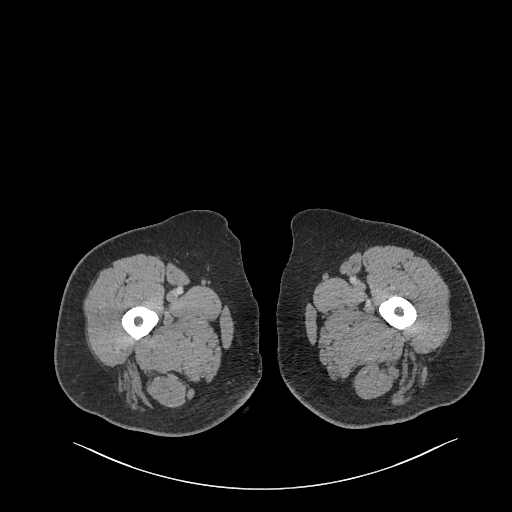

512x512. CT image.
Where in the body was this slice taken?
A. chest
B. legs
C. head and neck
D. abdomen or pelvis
B. legs
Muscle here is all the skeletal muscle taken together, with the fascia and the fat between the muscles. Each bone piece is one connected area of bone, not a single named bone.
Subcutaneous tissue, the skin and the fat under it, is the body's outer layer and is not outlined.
Outlines:
muscle 1: [[365,244],[404,246],[428,256],[440,268],[451,291],[452,328],[439,357],[432,367],[431,375],[425,390],[410,403],[391,409],[370,409],[361,407],[347,389],[323,379],[319,373],[312,346],[307,339],[304,327],[304,306],[306,298],[319,278],[338,255]]; inner edge: [[395,294],[407,299],[415,307],[416,309],[417,316],[416,317],[415,321],[410,326],[404,329],[398,329],[390,325],[380,315],[380,314],[378,312],[378,308],[379,307],[380,303],[384,300],[387,299],[389,297],[389,296],[391,295],[394,295]]
muscle 2: [[145,252],[158,252],[177,258],[206,277],[229,304],[235,313],[236,321],[236,336],[232,352],[207,393],[179,411],[160,415],[139,413],[129,410],[123,405],[113,385],[112,373],[94,359],[87,347],[84,334],[85,319],[82,303],[94,273],[113,260]] with a hole at [[137,305],[143,305],[155,311],[158,316],[158,321],[157,323],[153,327],[153,328],[146,335],[136,340],[134,339],[130,335],[129,335],[123,328],[121,324],[121,318],[123,314],[127,310]]
right leg: [[193,209],[207,209],[221,214],[240,241],[244,271],[259,308],[261,377],[247,401],[250,408],[246,413],[243,412],[242,406],[206,430],[191,435],[162,436],[126,429],[80,409],[59,385],[54,368],[53,351],[63,291],[75,265],[94,246],[119,233]]
left leg: [[309,208],[336,210],[360,218],[389,222],[413,229],[437,242],[455,260],[473,294],[485,341],[481,371],[464,396],[453,403],[436,407],[402,422],[350,429],[323,419],[292,394],[281,376],[277,362],[276,310],[281,275],[292,246],[290,222],[296,213]]
bones 1: [[395,294],[407,299],[415,307],[416,309],[417,316],[416,317],[415,321],[410,326],[404,329],[398,329],[390,325],[380,315],[380,314],[378,312],[378,308],[379,307],[380,303],[384,300],[387,299],[389,297],[389,296],[391,295],[394,295]]
bones 2: [[137,305],[143,305],[155,311],[158,316],[158,321],[157,323],[153,327],[153,328],[146,335],[136,340],[134,339],[130,335],[129,335],[123,328],[121,324],[121,318],[123,314],[127,310]]